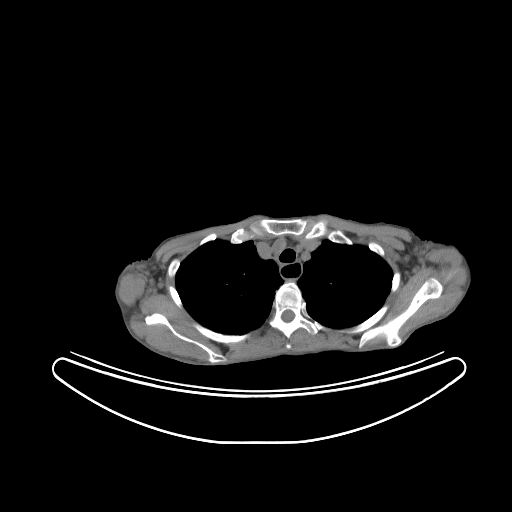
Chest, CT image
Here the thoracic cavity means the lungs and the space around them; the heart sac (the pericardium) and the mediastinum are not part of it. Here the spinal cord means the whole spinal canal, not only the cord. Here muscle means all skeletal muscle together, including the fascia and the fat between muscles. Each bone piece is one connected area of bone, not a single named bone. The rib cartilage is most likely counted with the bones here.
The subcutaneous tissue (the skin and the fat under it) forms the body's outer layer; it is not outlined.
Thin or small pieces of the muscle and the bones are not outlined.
{"spinal_cord":[[[287,310],[289,310],[290,311],[291,311],[293,313],[293,314],[294,315],[294,316],[293,317],[293,318],[290,321],[285,321],[284,320],[283,320],[283,319],[281,316],[282,315],[282,314],[283,313],[283,312],[284,312]]],"torso":[[[321,212],[362,222],[400,224],[411,228],[421,238],[446,242],[450,268],[470,284],[450,316],[418,329],[395,349],[282,355],[229,365],[192,365],[176,361],[150,351],[129,334],[117,303],[133,284],[131,261],[147,258],[163,239],[257,213],[295,216]]],"mediastinum":[[[282,235],[292,235],[300,239],[303,238],[305,240],[325,238],[321,242],[321,244],[311,253],[310,259],[303,264],[303,272],[296,282],[292,280],[284,282],[279,275],[277,264],[272,259],[262,259],[258,255],[254,243],[251,240],[260,237],[276,237]]],"thoracic_cavity":[[[218,238],[228,240],[233,245],[241,244],[250,240],[253,243],[257,255],[262,260],[272,260],[276,264],[278,275],[283,282],[274,292],[269,316],[261,325],[245,333],[222,333],[212,330],[199,323],[184,306],[175,286],[175,277],[181,262],[199,246]],[[325,239],[336,244],[344,244],[349,246],[356,244],[366,246],[370,251],[383,258],[392,271],[389,293],[383,304],[367,318],[348,327],[333,328],[314,319],[307,310],[306,301],[297,284],[298,280],[304,272],[304,264],[311,259],[312,253],[322,244]]],"right_arm":[[[129,262],[130,262],[132,266],[132,269],[133,270],[133,280],[132,281],[132,284],[127,294],[120,301],[117,302],[114,296],[114,286],[116,282],[116,278],[120,270],[121,270],[122,268]]],"muscle":[[[254,217],[262,218],[246,228],[238,227],[228,239],[219,238],[214,231],[208,233],[181,261],[174,257],[169,262],[167,275],[174,279],[174,285],[169,284],[167,290],[174,303],[180,309],[184,307],[196,321],[192,323],[193,327],[210,340],[230,344],[248,339],[250,331],[267,319],[267,324],[287,339],[299,328],[311,335],[330,328],[348,334],[361,333],[358,348],[323,348],[302,352],[286,349],[278,353],[226,361],[221,352],[177,331],[167,317],[157,311],[144,317],[148,326],[166,326],[179,339],[202,349],[209,362],[160,351],[135,334],[129,322],[130,313],[118,291],[120,279],[125,273],[142,266],[155,278],[163,277],[164,271],[159,268],[155,254],[166,242]],[[313,216],[404,229],[412,237],[407,244],[410,250],[418,245],[453,249],[466,271],[461,295],[447,312],[418,325],[402,337],[399,332],[406,321],[426,301],[437,299],[442,294],[443,284],[431,276],[421,284],[405,309],[386,322],[377,324],[389,308],[384,303],[386,298],[399,287],[401,272],[392,270],[385,259],[383,247],[376,241],[370,240],[367,245],[354,243],[340,229],[329,228],[323,218],[310,222],[306,217]],[[375,338],[382,338],[384,340],[384,341],[385,342],[385,345],[374,345],[373,346],[369,346],[368,347],[364,347],[363,348],[362,348],[365,345],[365,344],[368,341],[369,341],[370,340],[372,340],[373,339],[374,339]]],"bones":[[[431,277],[442,284],[441,294],[437,298],[426,300],[405,321],[398,332],[403,339],[399,345],[389,347],[382,337],[375,337],[359,348],[361,332],[348,333],[339,330],[362,322],[384,304],[387,304],[388,308],[376,324],[386,323],[406,309],[422,284]],[[263,218],[305,218],[310,223],[323,219],[329,229],[340,230],[353,243],[350,245],[336,243],[325,237],[305,239],[302,235],[296,236],[292,234],[282,234],[273,236],[265,234],[241,243],[233,244],[229,241],[233,232],[241,227],[246,229],[252,223]],{"outer":[[289,281],[295,282],[298,286],[301,295],[305,301],[307,312],[314,320],[328,327],[329,328],[328,330],[319,330],[316,334],[311,334],[304,328],[299,327],[290,335],[289,338],[287,338],[281,331],[268,324],[268,319],[272,310],[275,292],[283,283]],"hole":[[287,310],[289,310],[290,311],[291,311],[293,313],[293,314],[294,315],[294,316],[293,317],[293,318],[290,321],[285,321],[284,320],[283,320],[283,319],[281,316],[282,315],[282,314],[283,313],[283,312],[284,312]]},[[155,312],[164,315],[173,328],[180,334],[205,345],[215,352],[221,353],[226,358],[225,361],[217,363],[210,362],[208,360],[208,354],[202,348],[192,342],[189,342],[179,338],[166,325],[162,323],[149,324],[148,325],[145,322],[145,317],[147,315]],[[194,322],[197,322],[202,326],[218,333],[226,334],[227,335],[241,335],[249,332],[250,333],[250,336],[245,340],[243,340],[239,342],[231,342],[230,343],[217,342],[212,339],[210,339],[206,337],[200,333],[194,327],[193,325],[193,323]],[[174,258],[178,258],[180,260],[180,264],[178,267],[178,269],[177,270],[177,271],[175,274],[175,276],[174,277],[174,278],[171,278],[168,275],[168,266],[169,265],[169,264],[170,263],[170,262],[172,260],[172,259],[173,259]],[[169,285],[173,285],[175,287],[175,288],[178,293],[178,295],[179,296],[179,297],[182,302],[182,304],[183,305],[183,307],[182,308],[180,308],[175,303],[175,302],[171,297],[171,296],[170,295],[170,293],[168,290],[168,286]],[[370,241],[373,241],[374,242],[376,242],[378,244],[379,244],[382,247],[382,248],[384,251],[384,258],[383,257],[382,257],[381,256],[380,256],[375,252],[374,252],[373,251],[372,251],[369,249],[369,248],[367,246],[368,245],[368,243]],[[395,270],[398,270],[400,272],[400,280],[399,281],[399,284],[398,285],[398,287],[396,289],[396,290],[394,292],[392,292],[391,293],[390,292],[390,290],[391,289],[391,284],[392,283],[392,278],[393,277],[393,272]],[[213,232],[214,232],[217,234],[217,238],[216,238],[214,240],[211,240],[210,241],[208,241],[207,242],[206,242],[205,243],[204,243],[201,245],[199,245],[199,242],[205,236],[206,236],[208,234],[209,234],[210,233],[212,233]]],"left_arm":[[[447,242],[448,243],[452,243],[457,246],[457,247],[459,248],[460,250],[461,250],[461,251],[467,258],[469,262],[469,264],[471,267],[471,272],[472,273],[471,283],[466,281],[460,277],[451,268],[448,262],[447,254],[446,253],[446,245],[447,244]]]}